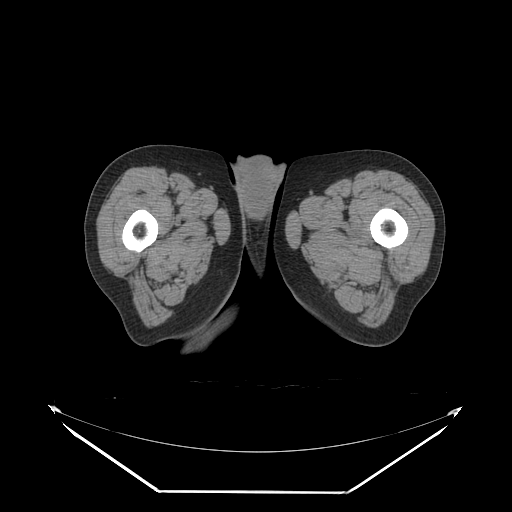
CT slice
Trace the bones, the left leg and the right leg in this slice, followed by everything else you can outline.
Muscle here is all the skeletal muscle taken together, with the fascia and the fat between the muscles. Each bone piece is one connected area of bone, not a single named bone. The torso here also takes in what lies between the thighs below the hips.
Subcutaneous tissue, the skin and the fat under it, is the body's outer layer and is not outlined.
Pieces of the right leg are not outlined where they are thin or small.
The bones appear in 2 outlined pieces: piece 1: 383,207 389,207 397,211 404,218 407,223 407,226 408,227 408,233 404,241 401,244 397,246 392,247 391,248 386,248 382,246 380,244 377,243 373,239 370,233 370,230 369,229 369,224 373,215 379,209; piece 2: 137,209 145,209 147,210 154,216 154,217 157,220 157,222 158,223 158,233 157,234 157,237 156,239 150,245 143,249 140,252 136,252 133,250 130,250 126,248 123,244 121,239 122,229 126,220 128,217. The left leg is outlined by 363,148 390,151 405,157 415,164 436,189 445,214 445,242 438,276 432,287 413,310 401,336 394,342 383,346 368,346 347,340 304,311 285,285 276,266 272,247 274,220 282,195 282,181 287,165 305,155. The right leg is outlined by 148,144 176,144 218,152 228,160 228,171 234,179 241,205 245,251 229,301 242,297 242,309 235,324 197,355 179,355 178,342 170,339 148,346 134,343 117,310 94,281 85,258 84,216 97,178 117,156. The torso is outlined by 257,152 269,154 276,162 283,160 287,163 281,184 277,189 274,200 270,223 270,232 268,238 266,271 263,279 260,281 257,279 252,269 246,252 246,236 242,205 229,162 229,160 233,160 239,153 248,155. The muscle appears in 2 outlined pieces: piece 1: 382,168 404,175 417,186 431,207 435,219 435,231 429,262 424,273 402,291 386,322 377,328 369,328 358,323 342,311 326,295 304,261 289,247 285,238 284,225 287,214 302,198 320,191 331,183 362,169, around a hole outlined by 383,207 389,207 397,211 404,218 407,223 407,226 408,227 408,233 404,241 401,244 397,246 392,247 391,248 386,248 382,246 380,244 377,243 373,239 370,233 370,230 369,229 369,224 373,215 379,209; piece 2: 148,164 171,168 213,190 226,208 231,223 231,233 229,238 215,254 197,291 173,319 160,327 152,328 147,328 142,324 132,302 132,295 128,285 120,278 109,273 100,261 95,225 104,198 118,176 130,167, around a hole outlined by 137,209 145,209 147,210 154,216 154,217 157,220 157,222 158,223 158,233 157,234 157,237 156,239 150,245 143,249 140,252 136,252 133,250 130,250 126,248 123,244 121,239 122,229 126,220 128,217.